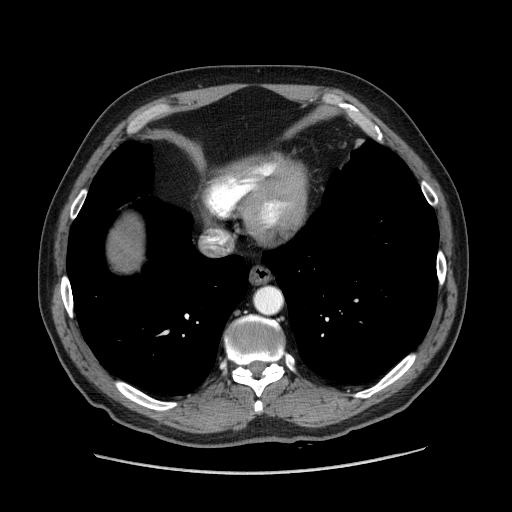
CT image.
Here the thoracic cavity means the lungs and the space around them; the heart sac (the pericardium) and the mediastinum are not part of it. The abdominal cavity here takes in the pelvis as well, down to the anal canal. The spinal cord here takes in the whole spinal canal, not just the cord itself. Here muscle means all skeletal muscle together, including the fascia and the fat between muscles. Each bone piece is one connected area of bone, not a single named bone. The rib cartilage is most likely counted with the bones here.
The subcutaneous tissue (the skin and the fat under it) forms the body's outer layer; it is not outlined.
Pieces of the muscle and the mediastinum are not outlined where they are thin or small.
thoracic cavity 1: [[368,137],[387,145],[406,163],[427,203],[434,208],[438,226],[437,298],[429,327],[413,350],[369,386],[338,387],[299,365],[286,348],[286,336],[293,337],[288,305],[276,276],[262,257],[292,239],[306,224],[321,205],[334,170],[340,170],[351,151]]
thoracic cavity 2: [[128,138],[151,145],[154,168],[151,193],[161,202],[191,216],[191,241],[197,251],[209,258],[238,255],[248,267],[245,295],[230,314],[222,333],[224,355],[217,369],[194,391],[170,400],[146,393],[100,363],[80,330],[67,274],[72,222],[99,168]], around a hole outlined by [[125,204],[129,204],[132,208],[137,210],[143,216],[145,220],[147,244],[146,245],[146,261],[141,268],[140,272],[135,273],[132,275],[121,276],[112,273],[108,269],[104,253],[104,242],[109,228],[112,225],[114,220],[119,213],[118,210],[119,208]]
muscle: [[230,83],[277,83],[278,84],[319,85],[338,88],[351,94],[363,103],[392,130],[399,135],[426,164],[430,172],[440,185],[450,214],[458,288],[457,289],[457,303],[455,309],[455,315],[444,342],[428,364],[412,381],[382,401],[370,406],[353,416],[333,424],[322,427],[307,427],[284,421],[277,417],[270,417],[262,414],[257,415],[249,421],[244,428],[239,430],[235,431],[228,430],[213,433],[193,433],[159,423],[152,418],[138,413],[124,406],[102,392],[97,387],[89,382],[86,377],[80,372],[65,350],[53,322],[51,312],[51,299],[54,287],[54,241],[59,217],[61,211],[68,199],[75,180],[95,149],[120,121],[125,119],[135,109],[150,101],[172,93]]; inner edge: [[246,87],[305,104],[333,93],[377,125],[385,144],[437,195],[445,279],[415,360],[367,398],[352,396],[362,387],[328,384],[297,363],[296,372],[285,366],[265,386],[263,410],[256,413],[256,394],[233,380],[230,361],[226,373],[216,369],[194,391],[174,396],[175,407],[154,410],[118,390],[119,378],[66,311],[60,279],[67,273],[70,207],[106,158],[134,136],[126,127],[140,112],[159,103],[174,112],[193,110]]
mediastinum 1: [[138,133],[178,147],[203,173],[194,201],[205,225],[229,228],[258,248],[277,247],[264,251],[261,259],[283,294],[292,337],[276,319],[256,313],[225,327],[246,295],[249,267],[238,254],[209,257],[198,251],[192,216],[152,193],[153,147],[132,138]]
mediastinum 2: [[342,112],[359,127],[367,137],[358,147],[350,151],[349,159],[340,169],[333,170],[325,185],[320,205],[312,213],[318,204],[318,199],[322,192],[320,162],[312,141],[307,137],[299,136],[310,126],[313,126],[318,122],[323,122],[324,120],[329,120]]
spinal cord: [[253,361],[262,361],[263,362],[265,362],[267,364],[266,365],[266,366],[264,368],[264,369],[261,372],[261,373],[260,374],[260,376],[259,376],[258,377],[254,377],[253,376],[253,374],[252,373],[252,372],[247,367],[247,366],[251,362],[252,362]]
bones 1: [[247,314],[276,320],[285,335],[285,348],[296,361],[296,372],[285,366],[283,375],[265,386],[260,396],[263,405],[260,413],[254,410],[257,398],[254,390],[233,380],[231,371],[235,365],[230,361],[224,374],[218,369],[225,355],[225,329],[234,319]] with a hole at [[253,361],[262,361],[263,362],[265,362],[267,364],[266,365],[266,366],[264,368],[264,369],[261,372],[261,373],[260,374],[260,376],[259,376],[258,377],[254,377],[253,376],[253,374],[252,373],[252,372],[247,367],[247,366],[251,362],[252,362]]
bones 2: [[326,92],[339,95],[345,101],[357,107],[368,118],[378,126],[383,134],[383,139],[385,143],[384,144],[379,143],[371,137],[368,136],[359,126],[354,123],[346,115],[345,112],[342,109],[336,105],[322,103],[321,102],[321,96]]
bones 3: [[412,351],[416,353],[416,358],[415,360],[408,368],[408,369],[395,381],[367,398],[357,398],[352,396],[352,394],[353,393],[357,391],[359,391],[362,389],[364,389],[367,387],[369,387],[374,384],[380,378],[381,378],[394,366],[395,366],[406,355]]
bones 4: [[117,379],[120,379],[128,383],[130,385],[137,388],[139,390],[156,399],[164,400],[165,401],[176,401],[178,404],[173,408],[167,410],[163,410],[162,411],[154,410],[145,407],[142,405],[140,405],[126,397],[118,390],[114,384],[114,381]]
bones 5: [[159,103],[168,103],[170,104],[172,106],[172,108],[173,109],[173,111],[172,112],[166,113],[163,115],[161,115],[159,117],[157,117],[155,119],[151,120],[139,131],[134,134],[129,135],[126,133],[126,127],[130,120],[131,120],[136,115],[143,110]]
bones 6: [[63,274],[66,274],[67,275],[69,280],[70,287],[71,288],[71,293],[73,298],[73,310],[74,311],[74,317],[73,318],[70,318],[69,317],[66,311],[66,309],[64,306],[64,304],[62,300],[62,297],[61,296],[61,292],[60,291],[60,279]]
bones 7: [[438,249],[441,249],[442,250],[442,251],[445,256],[445,259],[446,260],[446,273],[445,274],[445,279],[444,280],[444,282],[443,283],[442,286],[440,288],[438,288],[438,279],[437,278],[437,272],[436,271],[436,259],[437,258],[437,252],[438,251]]
bones 8: [[84,187],[86,187],[88,188],[88,190],[87,191],[87,194],[85,197],[85,199],[81,206],[81,208],[78,214],[76,216],[76,217],[72,221],[71,221],[70,219],[70,207],[71,206],[71,204],[73,200],[75,198],[75,197],[78,194],[79,191]]
bones 9: [[422,179],[424,179],[433,188],[433,189],[435,191],[435,192],[437,195],[437,205],[435,207],[433,207],[428,203],[428,202],[427,201],[427,200],[425,198],[425,197],[423,194],[423,192],[421,189],[421,187],[420,186],[420,184],[419,183],[419,182]]
pericardium: [[292,136],[304,137],[311,141],[317,155],[321,176],[321,192],[317,199],[317,204],[305,224],[292,238],[274,247],[258,247],[243,235],[229,227],[222,225],[207,225],[201,220],[195,196],[200,178],[204,173],[222,163],[260,150],[283,138],[291,138]]
abdominal cavity 1: [[246,87],[265,88],[294,102],[305,104],[315,102],[327,104],[335,106],[341,111],[338,115],[310,125],[299,135],[283,137],[270,145],[222,162],[206,172],[201,172],[194,160],[184,150],[166,139],[140,137],[138,132],[148,123],[161,116],[203,107]]
abdominal cavity 2: [[125,204],[129,204],[132,208],[137,210],[143,216],[145,220],[147,244],[146,245],[146,261],[141,268],[140,272],[135,273],[132,275],[121,276],[112,273],[108,269],[104,253],[104,242],[109,228],[112,225],[114,220],[119,213],[118,210],[119,208]]
torso: [[216,64],[305,64],[356,74],[402,106],[454,182],[469,246],[463,321],[438,375],[405,409],[391,417],[321,442],[270,441],[216,449],[185,447],[114,421],[85,399],[58,360],[38,306],[37,266],[44,218],[67,166],[93,122],[120,94],[160,74]]